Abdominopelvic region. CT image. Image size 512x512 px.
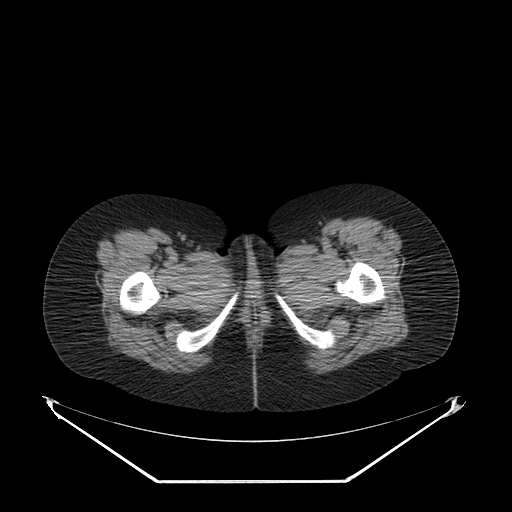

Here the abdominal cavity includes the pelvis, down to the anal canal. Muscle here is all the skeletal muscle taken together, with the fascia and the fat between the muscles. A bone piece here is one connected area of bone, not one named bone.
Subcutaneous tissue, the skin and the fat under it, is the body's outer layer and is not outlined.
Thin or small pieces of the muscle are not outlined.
Outlined structures:
abdominal cavity: (254, 333) (257, 333) (258, 334) (259, 334) (259, 335) (260, 336) (260, 338) (259, 339) (259, 341) (258, 342) (258, 343) (257, 343) (256, 344) (254, 344) (253, 343) (252, 343) (251, 342) (251, 341) (250, 340) (250, 337) (251, 336) (251, 335) (252, 334) (253, 334)
bones 1: (358, 261) (367, 263) (373, 267) (378, 272) (382, 277) (382, 281) (386, 290) (386, 292) (383, 296) (370, 305) (358, 303) (354, 299) (341, 295) (336, 290) (336, 282) (338, 280) (339, 281) (343, 281) (345, 280) (348, 277) (350, 273) (350, 269) (351, 267) (355, 262)
bones 2: (135, 271) (143, 271) (147, 273) (151, 278) (156, 288) (161, 293) (161, 298) (160, 300) (149, 308) (144, 313) (139, 315) (133, 315) (128, 312) (125, 312) (123, 311) (119, 305) (119, 300) (118, 299) (118, 297) (119, 296) (119, 293) (118, 292) (122, 282) (127, 276)
bones 3: (237, 291) (238, 291) (239, 293) (238, 297) (233, 307) (230, 310) (229, 313) (223, 321) (216, 335) (207, 344) (200, 348) (197, 351) (194, 352) (183, 352) (180, 351) (177, 348) (175, 342) (176, 336) (178, 332) (181, 329) (195, 330) (205, 326) (220, 312) (231, 296)
bones 4: (275, 293) (277, 293) (284, 297) (284, 300) (287, 304) (303, 322) (316, 329) (320, 329) (321, 330) (331, 329) (337, 336) (339, 336) (336, 338) (334, 345) (332, 347) (320, 349) (312, 345) (306, 339) (298, 334) (292, 322) (275, 298) (274, 296)
muscle 1: (345, 214) (364, 214) (380, 219) (399, 230) (405, 249) (400, 283) (405, 299) (409, 332) (407, 338) (397, 347) (363, 355) (337, 370) (324, 374) (312, 374) (304, 368) (301, 362) (303, 345) (298, 341) (273, 299) (274, 263) (288, 246) (299, 244) (316, 235) (327, 221) with holes at (358, 261) (367, 263) (373, 267) (378, 272) (382, 277) (382, 281) (386, 290) (386, 292) (383, 296) (370, 305) (358, 303) (354, 299) (341, 295) (336, 290) (336, 282) (338, 280) (339, 281) (343, 281) (345, 280) (348, 277) (350, 273) (350, 269) (351, 267) (355, 262) and at (275, 293) (277, 293) (284, 297) (284, 300) (287, 304) (303, 322) (316, 329) (320, 329) (321, 330) (331, 329) (337, 336) (339, 336) (336, 338) (334, 345) (332, 347) (320, 349) (312, 345) (306, 339) (298, 334) (292, 322) (275, 298) (274, 296)
muscle 2: (127, 226) (155, 227) (195, 251) (216, 252) (238, 280) (240, 293) (235, 291) (209, 322) (177, 332) (176, 348) (183, 353) (197, 352) (217, 335) (235, 304) (228, 324) (213, 344) (213, 361) (189, 375) (154, 369) (108, 347) (102, 299) (95, 281) (96, 251) (103, 234); inner edge: (135, 271) (143, 271) (147, 273) (151, 278) (156, 288) (161, 293) (161, 298) (160, 300) (149, 308) (144, 313) (139, 315) (133, 315) (128, 312) (125, 312) (123, 311) (119, 305) (119, 300) (118, 299) (118, 297) (119, 296) (119, 293) (118, 292) (122, 282) (127, 276)
muscle 3: (252, 325) (255, 325) (256, 326) (258, 326) (260, 327) (262, 330) (262, 348) (260, 352) (254, 355) (252, 355) (250, 354) (249, 352) (249, 350) (248, 349) (248, 347) (247, 346) (247, 342) (246, 341) (246, 335) (247, 334) (247, 332) (250, 326) with a hole at (254, 333) (257, 333) (258, 334) (259, 334) (259, 335) (260, 336) (260, 338) (259, 339) (259, 341) (258, 342) (258, 343) (257, 343) (256, 344) (254, 344) (253, 343) (252, 343) (251, 342) (251, 341) (250, 340) (250, 337) (251, 336) (251, 335) (252, 334) (253, 334)
torso: (344, 182) (374, 183) (404, 195) (445, 240) (460, 291) (454, 335) (439, 359) (350, 403) (291, 413) (215, 413) (141, 399) (73, 372) (56, 355) (42, 315) (46, 271) (65, 230) (90, 206) (126, 192) (173, 196) (214, 210) (233, 237) (241, 231) (262, 234) (282, 203)